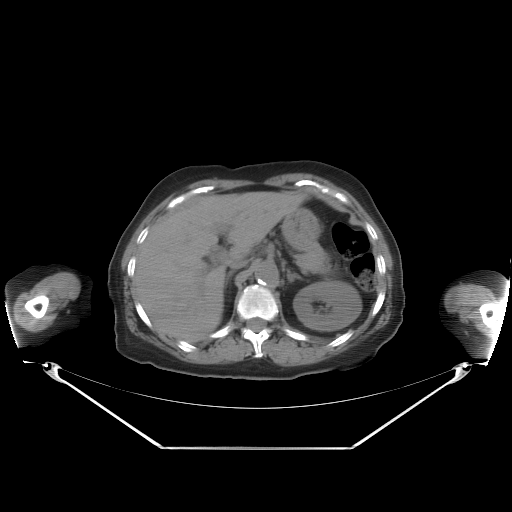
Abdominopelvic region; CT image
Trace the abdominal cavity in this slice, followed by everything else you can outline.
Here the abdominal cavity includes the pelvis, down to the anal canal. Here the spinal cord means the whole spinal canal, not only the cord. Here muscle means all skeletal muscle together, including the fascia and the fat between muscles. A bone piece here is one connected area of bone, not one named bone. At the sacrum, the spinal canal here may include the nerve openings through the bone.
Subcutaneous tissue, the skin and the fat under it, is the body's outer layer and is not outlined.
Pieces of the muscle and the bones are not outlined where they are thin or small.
The abdominal cavity is outlined by (252, 185) (298, 187) (323, 194) (348, 212) (353, 224) (365, 229) (375, 255) (377, 294) (360, 324) (334, 338) (304, 333) (286, 321) (267, 287) (251, 283) (242, 289) (227, 323) (200, 341) (190, 343) (169, 337) (153, 325) (134, 283) (136, 257) (149, 228) (188, 198). The spinal cord is outlined by (251, 318) (260, 318) (261, 319) (263, 319) (264, 320) (265, 320) (267, 322) (267, 326) (266, 327) (265, 327) (264, 328) (263, 328) (261, 330) (260, 330) (258, 332) (255, 332) (246, 326) (246, 321) (247, 320) (248, 320). The torso is outlined by (298, 159) (322, 161) (354, 175) (367, 188) (390, 228) (401, 255) (405, 291) (403, 321) (394, 336) (373, 358) (359, 366) (287, 380) (200, 377) (138, 363) (121, 355) (115, 347) (107, 269) (122, 232) (149, 191) (163, 177) (188, 165) (223, 164) (237, 167). The bones appear in 15 outlined pieces: piece 1: (251, 284) (259, 284) (267, 288) (273, 294) (278, 307) (277, 314) (269, 324) (271, 329) (270, 335) (261, 344) (262, 356) (258, 358) (254, 357) (254, 347) (252, 343) (248, 339) (242, 337) (241, 329) (244, 325) (244, 321) (240, 318) (237, 312) (239, 297) (243, 289) with a hole at (251, 318) (260, 318) (261, 319) (263, 319) (264, 320) (265, 320) (267, 322) (267, 326) (266, 327) (265, 327) (264, 328) (263, 328) (261, 330) (260, 330) (258, 332) (255, 332) (246, 326) (246, 321) (247, 320) (248, 320); piece 2: (38, 294) (44, 294) (46, 295) (49, 299) (49, 303) (48, 304) (47, 309) (44, 315) (40, 318) (35, 318) (32, 315) (31, 315) (31, 314) (29, 313) (24, 308) (24, 304) (26, 301) (27, 301) (29, 299) (32, 298) (34, 296); piece 3: (301, 179) (310, 179) (311, 180) (316, 181) (330, 188) (332, 190) (340, 192) (347, 197) (350, 203) (349, 204) (345, 204) (336, 198) (330, 196) (328, 194) (324, 194) (322, 193) (313, 186) (310, 186) (309, 185) (295, 186) (294, 185) (294, 183) (296, 181) (298, 181); piece 4: (207, 185) (213, 185) (214, 186) (214, 188) (212, 190) (210, 190) (207, 192) (204, 192) (203, 193) (199, 193) (198, 194) (192, 195) (180, 203) (178, 203) (169, 209) (166, 207) (168, 203) (175, 197) (181, 194) (183, 194) (197, 187) (199, 187) (200, 186) (206, 186); piece 5: (486, 303) (487, 304) (494, 304) (495, 305) (497, 305) (497, 312) (496, 313) (496, 316) (495, 317) (495, 319) (494, 320) (494, 322) (493, 323) (492, 328) (491, 327) (488, 327) (482, 321) (482, 318) (481, 317) (481, 313) (480, 312) (480, 307) (483, 304) (485, 304); piece 6: (350, 329) (351, 329) (353, 331) (353, 332) (351, 336) (347, 340) (346, 340) (341, 344) (339, 344) (333, 347) (330, 347) (329, 346) (327, 346) (327, 344) (333, 339) (339, 336) (341, 334) (346, 332); piece 7: (381, 290) (384, 290) (384, 291) (385, 292) (385, 297) (384, 298) (383, 303) (382, 304) (380, 309) (378, 311) (378, 312) (374, 316) (372, 316) (371, 315) (371, 311) (372, 310) (373, 305) (376, 300) (376, 298) (377, 297) (378, 292); piece 8: (229, 323) (231, 323) (234, 327) (233, 328) (233, 329) (231, 331) (230, 331) (225, 336) (224, 336) (223, 337) (216, 337) (215, 338) (211, 338) (210, 337) (209, 337) (209, 335) (210, 334) (215, 332) (217, 330) (220, 329) (222, 327) (223, 327) (225, 325) (226, 325); piece 9: (283, 327) (286, 327) (287, 328) (289, 328) (290, 329) (291, 329) (292, 330) (294, 330) (295, 331) (299, 331) (300, 332) (305, 334) (308, 337) (308, 339) (307, 340) (298, 340) (297, 339) (292, 338) (291, 337) (288, 336) (284, 332) (284, 331) (282, 328); piece 10: (136, 302) (139, 302) (141, 304) (141, 305) (142, 306) (145, 313) (147, 315) (149, 320) (152, 324) (152, 327) (151, 327) (150, 328) (148, 326) (147, 326) (144, 323) (144, 322) (140, 318) (140, 317) (138, 315) (138, 314) (136, 311) (136, 308) (135, 307) (135, 303); piece 11: (379, 254) (380, 254) (381, 255) (382, 255) (382, 256) (383, 257) (383, 258) (384, 259) (384, 261) (385, 262) (385, 273) (384, 274) (380, 274) (378, 272) (378, 270) (377, 269) (377, 268) (376, 267) (376, 256) (377, 255) (378, 255); piece 12: (178, 340) (183, 340) (184, 341) (186, 341) (187, 342) (188, 342) (190, 344) (192, 344) (193, 345) (194, 345) (196, 347) (196, 349) (193, 351) (190, 351) (189, 352) (184, 351) (182, 349) (181, 349) (179, 347) (178, 347) (178, 346) (177, 345) (177, 342) (178, 341); piece 13: (133, 256) (134, 256) (135, 257) (135, 268) (134, 269) (134, 273) (133, 274) (133, 276) (132, 277) (130, 277) (127, 274) (127, 265) (128, 264) (128, 262) (129, 261) (129, 260) (130, 259) (130, 258) (131, 257) (132, 257); piece 14: (366, 222) (368, 222) (374, 228) (374, 229) (375, 230) (375, 231) (376, 232) (376, 233) (377, 234) (377, 239) (376, 239) (375, 240) (374, 239) (372, 239) (370, 237) (370, 236) (368, 234) (368, 233) (367, 232) (367, 231) (366, 230) (366, 229) (365, 228) (365, 223); piece 15: (145, 227) (148, 227) (148, 232) (147, 233) (147, 235) (145, 237) (145, 238) (144, 239) (144, 240) (141, 243) (140, 243) (139, 244) (138, 243) (137, 243) (136, 242) (136, 239) (137, 238) (137, 237) (138, 236) (138, 235) (140, 233) (140, 232). The muscle appears in 3 outlined pieces: piece 1: (299, 172) (320, 176) (348, 191) (380, 228) (393, 262) (391, 315) (384, 326) (358, 344) (316, 363) (281, 366) (262, 357) (262, 344) (271, 335) (270, 324) (279, 312) (279, 305) (285, 321) (297, 330) (283, 326) (288, 337) (307, 341) (307, 334) (332, 339) (326, 346) (333, 348) (347, 341) (354, 332) (352, 329) (370, 312) (374, 317) (386, 297) (384, 289) (378, 291) (378, 273) (386, 273) (386, 262) (373, 249) (372, 240) (378, 239) (375, 228) (368, 221) (364, 227) (352, 222) (352, 215) (332, 199) (349, 205) (345, 194) (316, 180) (301, 178) (293, 183) (294, 187) (252, 184) (210, 191) (215, 186) (207, 184) (181, 193) (167, 203) (167, 210) (149, 227) (139, 232) (135, 242) (141, 245) (126, 265) (126, 274) (133, 277) (138, 300) (134, 303) (135, 311) (147, 327) (153, 326) (177, 340) (177, 347) (189, 353) (197, 349) (193, 344) (206, 336) (223, 338) (231, 332) (235, 327) (228, 322) (236, 306) (243, 321) (241, 337) (251, 343) (254, 358) (228, 364) (186, 362) (129, 330) (124, 313) (121, 259) (134, 231) (154, 207) (170, 194) (202, 179) (263, 181); piece 2: (59, 271) (68, 271) (77, 276) (81, 285) (80, 292) (78, 296) (74, 300) (71, 300) (59, 312) (57, 317) (49, 327) (38, 332) (27, 331) (20, 326) (15, 321) (14, 318) (13, 311) (15, 304) (14, 302) (16, 297) (21, 292) (30, 289) (38, 281) (44, 277), around a hole outlined by (38, 294) (44, 294) (46, 295) (49, 299) (49, 303) (48, 304) (47, 309) (44, 315) (40, 318) (35, 318) (32, 315) (31, 315) (31, 314) (29, 313) (24, 308) (24, 304) (26, 301) (27, 301) (29, 299) (32, 298) (34, 296); piece 3: (460, 282) (475, 283) (476, 285) (484, 286) (493, 294) (497, 304) (486, 302) (479, 307) (481, 321) (488, 328) (491, 328) (492, 337) (482, 332) (478, 328) (476, 329) (472, 326) (463, 324) (460, 322) (456, 313) (450, 313) (446, 310) (444, 305) (445, 294) (451, 287). The right arm is outlined by (51, 262) (59, 262) (76, 267) (87, 272) (93, 278) (94, 284) (91, 292) (91, 314) (89, 317) (83, 319) (78, 327) (64, 331) (42, 345) (20, 348) (18, 347) (18, 340) (14, 334) (8, 312) (8, 306) (6, 305) (4, 284) (12, 276) (31, 265) (47, 264). The left arm is outlined by (476, 269) (491, 269) (498, 271) (504, 275) (503, 290) (501, 296) (497, 301) (497, 312) (491, 329) (492, 341) (489, 343) (486, 349) (486, 357) (483, 358) (471, 357) (466, 352) (459, 341) (446, 331) (440, 321) (438, 313) (438, 299) (444, 285) (453, 277) (467, 271).